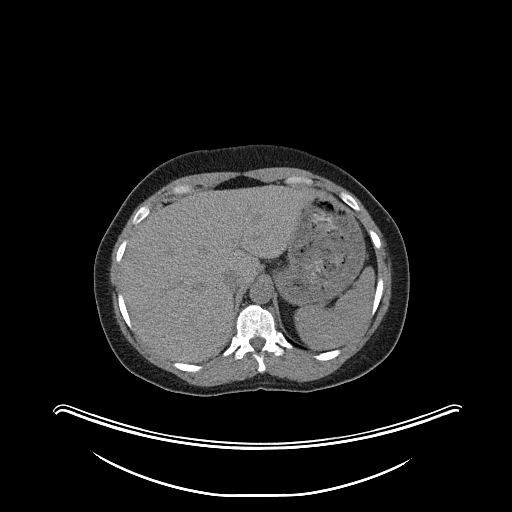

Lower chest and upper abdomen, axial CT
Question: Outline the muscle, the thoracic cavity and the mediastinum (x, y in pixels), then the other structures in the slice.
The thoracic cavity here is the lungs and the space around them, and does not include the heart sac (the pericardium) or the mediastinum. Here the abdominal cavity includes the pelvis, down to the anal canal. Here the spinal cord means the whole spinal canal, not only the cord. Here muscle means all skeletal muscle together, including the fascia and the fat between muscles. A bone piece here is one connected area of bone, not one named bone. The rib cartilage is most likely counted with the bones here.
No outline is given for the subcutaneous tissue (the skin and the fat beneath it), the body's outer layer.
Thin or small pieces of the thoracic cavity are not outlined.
Answer: Outlines:
muscle: [[265,167],[305,169],[333,181],[358,198],[387,244],[392,273],[389,306],[368,340],[333,372],[318,379],[301,382],[263,373],[266,370],[265,353],[281,356],[284,348],[297,347],[315,352],[312,356],[318,361],[335,358],[341,353],[338,348],[362,329],[370,314],[373,316],[376,313],[384,290],[384,280],[381,276],[378,277],[375,249],[378,250],[382,243],[378,234],[371,228],[367,230],[354,211],[358,212],[361,209],[355,198],[344,190],[338,195],[325,187],[315,185],[312,178],[303,175],[292,174],[283,180],[273,181],[238,175],[154,210],[149,204],[144,204],[131,219],[131,223],[137,225],[135,229],[128,240],[121,241],[115,253],[115,261],[120,263],[121,284],[117,303],[127,327],[131,331],[135,330],[152,350],[171,360],[172,365],[181,371],[197,372],[203,367],[199,364],[219,354],[225,357],[233,353],[234,359],[239,360],[250,353],[257,362],[259,373],[252,377],[212,386],[194,385],[150,362],[122,333],[115,318],[109,288],[111,253],[135,208],[172,180],[205,172],[242,172]]; inner edge: [[180,184],[182,185],[184,184],[186,185],[190,185],[192,187],[192,189],[184,193],[181,193],[180,194],[178,194],[176,193],[175,194],[173,194],[171,193],[171,189],[174,186],[176,185],[179,185]]
thoracic cavity: [[290,342],[291,342],[292,343],[293,343],[294,344],[295,345],[296,346],[295,346],[294,346],[293,345],[292,344],[291,343]]
mediastinum: [[256,278],[263,278],[265,280],[267,280],[271,286],[271,293],[274,300],[274,307],[276,313],[276,317],[275,318],[273,317],[272,312],[270,310],[257,303],[247,304],[240,309],[240,304],[242,301],[242,297],[244,295],[244,292],[246,291],[248,286]]
torso: [[259,143],[299,148],[335,163],[357,179],[390,214],[403,238],[409,263],[409,298],[402,331],[381,363],[356,379],[332,387],[310,392],[259,389],[216,396],[168,391],[128,371],[106,339],[93,289],[93,267],[99,243],[130,191],[159,164],[192,150]]
abdominal cavity: [[238,176],[325,188],[355,212],[367,231],[377,265],[375,291],[365,323],[343,345],[317,353],[286,338],[277,328],[272,286],[263,277],[256,277],[243,292],[227,347],[201,363],[169,359],[152,349],[134,328],[122,293],[120,264],[138,224],[151,210]]
spinal cord: [[254,337],[261,337],[262,338],[263,338],[264,339],[264,343],[263,344],[263,345],[259,349],[258,349],[257,350],[256,349],[255,349],[251,345],[251,344],[250,343],[250,340],[252,338],[253,338]]
bones 1: [[250,304],[257,304],[270,311],[275,320],[276,328],[293,346],[292,348],[284,347],[281,355],[266,351],[263,356],[265,370],[262,373],[258,371],[258,362],[250,352],[245,353],[239,359],[235,359],[233,352],[225,356],[222,355],[236,333],[238,313]] with a hole at [[254,337],[261,337],[262,338],[263,338],[264,339],[264,343],[263,344],[263,345],[259,349],[258,349],[257,350],[256,349],[255,349],[251,345],[251,344],[250,343],[250,340],[252,338],[253,338]]
bones 2: [[379,277],[381,277],[383,280],[383,290],[382,291],[381,298],[380,299],[379,304],[377,307],[377,309],[375,313],[373,315],[371,315],[371,311],[372,310],[372,306],[373,305],[374,296],[375,295],[375,292],[376,291],[376,285],[377,284],[377,281]]
bones 3: [[118,293],[121,293],[123,296],[123,299],[125,303],[125,306],[126,307],[127,312],[129,315],[129,318],[130,319],[131,324],[134,330],[131,330],[128,327],[127,324],[125,322],[122,316],[122,314],[119,308],[119,304],[118,303]]
bones 4: [[144,205],[149,205],[150,206],[150,211],[149,212],[149,213],[141,221],[140,221],[139,222],[139,223],[138,223],[137,224],[133,224],[132,223],[132,219],[133,218],[133,217],[134,216],[135,213],[138,210],[138,209],[140,207],[141,207]]
bones 5: [[342,191],[344,191],[345,192],[347,192],[354,198],[354,199],[356,201],[357,204],[359,206],[359,207],[360,208],[360,209],[358,211],[357,211],[356,210],[354,210],[351,207],[350,207],[345,202],[344,202],[340,198],[340,197],[339,196],[339,194]]
bones 6: [[292,175],[296,175],[297,176],[303,176],[304,177],[307,177],[308,178],[310,178],[311,179],[312,179],[313,180],[313,183],[312,184],[305,184],[304,183],[286,183],[284,181],[284,180],[286,178],[287,178],[288,177],[289,177],[290,176],[291,176]]
bones 7: [[335,349],[340,349],[340,353],[335,357],[334,357],[331,359],[329,359],[328,360],[318,360],[317,359],[314,358],[314,357],[313,356],[314,355],[315,355],[316,354],[318,354],[321,352],[326,352],[327,351],[330,351],[331,350],[334,350]]
bones 8: [[174,362],[181,362],[182,363],[185,363],[186,364],[196,364],[197,365],[201,365],[201,366],[202,367],[199,370],[198,370],[197,371],[185,371],[184,370],[181,370],[180,369],[179,369],[178,368],[177,368],[176,367],[175,367],[173,365],[173,363]]
bones 9: [[180,184],[182,185],[184,184],[186,185],[190,185],[192,187],[192,189],[184,193],[181,193],[180,194],[178,194],[176,193],[175,194],[173,194],[171,193],[171,189],[174,186],[176,185],[179,185]]
bones 10: [[370,229],[373,230],[377,234],[377,235],[379,237],[379,239],[380,240],[380,242],[381,243],[381,245],[380,246],[380,247],[378,249],[377,249],[374,247],[374,245],[372,242],[372,240],[371,239],[371,238],[368,233],[368,230],[369,230]]
bones 11: [[123,240],[127,240],[127,243],[125,246],[125,249],[123,252],[123,255],[121,258],[121,260],[120,261],[120,262],[117,262],[116,261],[116,253],[117,252],[117,250],[118,249],[118,248],[119,247],[119,246],[120,245],[120,244],[122,242],[122,241]]